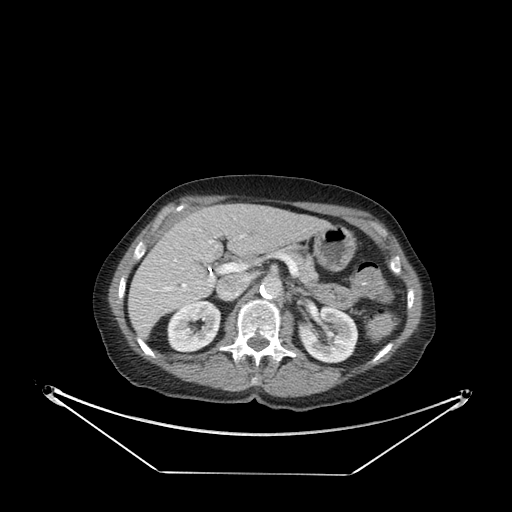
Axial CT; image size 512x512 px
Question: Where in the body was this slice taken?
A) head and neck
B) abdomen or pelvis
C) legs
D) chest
Answer: B) abdomen or pelvis
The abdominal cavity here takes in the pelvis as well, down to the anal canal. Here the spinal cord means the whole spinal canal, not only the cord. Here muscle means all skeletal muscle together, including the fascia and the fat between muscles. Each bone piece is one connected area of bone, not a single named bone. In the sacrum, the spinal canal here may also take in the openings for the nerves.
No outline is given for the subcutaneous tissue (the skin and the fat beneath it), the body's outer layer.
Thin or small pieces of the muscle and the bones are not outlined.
{"muscle":[{"outer":[[188,194],[199,194],[200,195],[212,195],[213,194],[216,194],[217,195],[227,195],[228,194],[236,194],[237,195],[246,195],[247,196],[270,198],[271,199],[279,199],[280,200],[287,200],[288,201],[317,202],[318,203],[335,204],[336,205],[347,206],[353,208],[358,208],[371,213],[384,223],[386,227],[395,236],[408,261],[416,272],[421,283],[421,287],[422,288],[422,315],[420,318],[420,322],[418,324],[417,328],[408,338],[407,341],[387,361],[375,366],[372,369],[370,369],[364,373],[352,377],[341,384],[339,384],[326,391],[308,395],[307,396],[299,396],[298,397],[279,397],[278,396],[273,396],[270,395],[261,388],[256,388],[252,386],[240,391],[227,391],[221,389],[216,389],[208,386],[203,386],[195,383],[183,381],[179,378],[177,378],[173,375],[166,372],[159,367],[144,360],[130,349],[123,334],[121,332],[117,321],[115,319],[114,315],[112,313],[109,306],[109,303],[107,298],[108,297],[108,290],[119,262],[133,240],[141,230],[156,215],[163,206],[179,197]],"holes":[[[234,200],[339,217],[370,236],[389,263],[397,255],[401,270],[395,275],[407,291],[413,289],[414,299],[391,348],[375,362],[319,364],[294,344],[295,321],[287,309],[278,337],[296,355],[277,365],[270,356],[258,366],[247,355],[235,362],[229,351],[219,350],[237,336],[234,311],[224,321],[222,337],[206,351],[145,354],[118,297],[121,277],[126,281],[139,261],[133,258],[135,247],[142,241],[147,248],[188,211]],[[182,203],[186,205],[185,207],[183,208],[183,209],[177,212],[175,212],[174,211],[170,212],[162,220],[159,226],[154,231],[152,230],[152,227],[153,226],[153,224],[156,218],[158,216],[158,215],[165,208],[167,208],[168,207],[176,207],[178,205]],[[370,221],[372,221],[373,222],[374,222],[375,223],[376,223],[378,225],[379,225],[382,228],[383,228],[386,231],[386,236],[385,237],[384,237],[383,236],[382,236],[381,235],[380,235],[374,229],[374,228],[371,225],[371,224],[370,223]],[[255,376],[256,376],[257,377],[257,380],[259,382],[259,383],[258,384],[256,384],[255,385],[252,385],[251,384],[251,380],[252,379],[252,378],[253,377],[254,377]]]}],"bones":[{"outer":[[256,298],[272,302],[279,309],[281,315],[278,332],[280,344],[296,354],[294,357],[284,356],[277,365],[270,356],[264,356],[258,366],[255,365],[253,358],[247,355],[235,362],[229,351],[219,350],[220,346],[234,342],[237,336],[238,311],[244,303]],"hole":[[257,335],[259,335],[260,336],[265,338],[268,341],[268,344],[267,345],[267,346],[266,346],[264,348],[263,348],[260,350],[255,350],[253,348],[252,348],[250,346],[249,346],[247,343],[247,341],[248,340],[248,339],[249,339],[252,337],[254,337]]},[[182,203],[186,205],[185,207],[183,208],[183,209],[177,212],[175,212],[174,211],[170,212],[162,220],[159,226],[154,231],[152,230],[152,227],[153,226],[153,224],[156,218],[158,216],[158,215],[165,208],[167,208],[168,207],[176,207],[178,205]],[[395,255],[397,255],[399,257],[399,260],[400,261],[400,265],[401,266],[401,270],[400,271],[400,273],[399,274],[396,274],[395,273],[394,273],[390,268],[390,266],[389,265],[389,263],[390,262],[390,260],[391,259],[391,258],[393,256],[394,256]],[[140,241],[142,241],[145,244],[145,246],[146,247],[146,249],[145,250],[145,252],[143,254],[143,255],[138,260],[136,260],[135,259],[134,259],[133,258],[133,253],[134,252],[134,250],[135,249],[135,247],[137,245],[137,244]],[[137,336],[138,336],[142,340],[143,340],[143,341],[145,342],[145,343],[147,344],[147,345],[154,352],[155,354],[155,357],[152,357],[144,353],[144,352],[142,350],[141,347],[139,345],[137,341]],[[389,342],[392,342],[392,343],[393,344],[392,345],[392,346],[391,347],[391,348],[384,355],[383,355],[380,358],[379,358],[375,362],[371,362],[371,360],[372,359],[372,358],[384,346],[385,346]],[[122,276],[124,276],[124,277],[125,278],[125,280],[126,281],[126,283],[125,284],[125,291],[124,292],[124,296],[123,297],[123,298],[122,299],[119,299],[119,298],[118,297],[118,287],[119,286],[119,282],[120,281],[120,279],[121,278],[121,277]],[[409,288],[412,288],[413,289],[413,290],[414,291],[414,299],[413,300],[413,304],[412,305],[412,306],[411,307],[411,308],[409,310],[408,310],[407,309],[407,291],[408,290],[408,289]],[[370,221],[372,221],[373,222],[374,222],[375,223],[376,223],[378,225],[379,225],[382,228],[383,228],[386,231],[386,236],[385,237],[384,237],[383,236],[382,236],[381,235],[380,235],[374,229],[374,228],[371,225],[371,224],[370,223]]],"spinal_cord":[[[257,335],[259,335],[260,336],[265,338],[268,341],[268,344],[267,345],[267,346],[266,346],[264,348],[263,348],[260,350],[255,350],[253,348],[252,348],[250,346],[249,346],[247,343],[247,341],[248,340],[248,339],[249,339],[252,337],[254,337]]],"abdominal_cavity":[[[234,200],[277,203],[339,217],[370,236],[405,285],[406,317],[399,334],[362,363],[319,364],[294,344],[293,314],[287,309],[281,314],[274,302],[256,297],[226,317],[222,337],[206,351],[187,355],[152,349],[126,318],[124,297],[133,268],[184,213]]],"torso":[[[227,174],[295,176],[339,185],[375,200],[395,217],[429,273],[436,309],[435,333],[406,377],[352,402],[298,412],[268,408],[254,399],[244,403],[218,404],[166,397],[132,385],[116,370],[107,356],[92,312],[93,286],[104,259],[164,192],[184,182]]]}